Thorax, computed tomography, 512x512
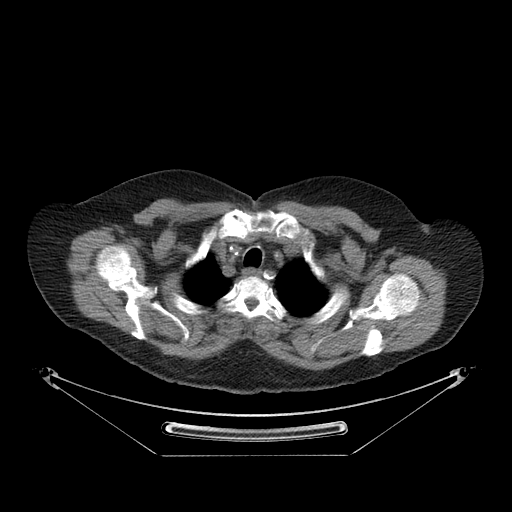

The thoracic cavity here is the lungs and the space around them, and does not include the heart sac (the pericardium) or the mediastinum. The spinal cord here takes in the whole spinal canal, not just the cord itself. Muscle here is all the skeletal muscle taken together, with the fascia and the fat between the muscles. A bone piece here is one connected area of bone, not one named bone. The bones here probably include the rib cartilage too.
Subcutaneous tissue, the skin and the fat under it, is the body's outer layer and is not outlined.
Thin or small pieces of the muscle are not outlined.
thoracic cavity 1: (295, 257) (302, 257) (303, 258) (304, 261) (307, 264) (310, 272) (313, 276) (321, 283) (327, 291) (327, 296) (328, 298) (324, 304) (310, 315) (307, 316) (296, 316) (290, 313) (278, 298) (273, 287) (270, 284) (272, 284) (274, 282) (275, 276) (280, 269) (288, 261)
thoracic cavity 2: (210, 251) (213, 253) (216, 262) (219, 266) (222, 273) (225, 276) (230, 278) (234, 281) (232, 283) (232, 285) (230, 288) (224, 294) (220, 296) (212, 304) (204, 305) (188, 298) (188, 296) (184, 289) (183, 279) (184, 278) (185, 272) (202, 261) (207, 256)
right arm: (87, 198) (90, 198) (102, 204) (116, 217) (131, 247) (132, 261) (130, 271) (128, 275) (115, 289) (99, 299) (80, 309) (55, 315) (48, 307) (37, 289) (28, 265) (26, 254) (26, 236) (28, 225) (33, 214) (42, 205) (50, 201) (60, 199) (78, 202)
bones 1: (235, 208) (250, 214) (270, 209) (294, 216) (311, 234) (313, 257) (324, 270) (323, 280) (314, 276) (305, 261) (299, 235) (278, 238) (273, 231) (250, 232) (243, 239) (217, 236) (206, 256) (186, 270) (185, 261) (196, 250) (203, 233) (214, 225) (219, 227) (219, 219)
bones 2: (116, 244) (128, 252) (137, 280) (157, 287) (157, 293) (149, 300) (157, 300) (187, 327) (189, 336) (186, 340) (173, 320) (142, 303) (140, 298) (136, 302) (146, 339) (140, 340) (130, 333) (134, 323) (125, 310) (126, 294) (110, 288) (94, 267) (98, 252) (107, 245)
bones 3: (247, 276) (258, 276) (265, 280) (272, 287) (275, 295) (289, 313) (299, 320) (302, 317) (310, 316) (321, 308) (338, 287) (345, 287) (349, 295) (332, 316) (317, 324) (286, 318) (274, 322) (263, 315) (249, 320) (238, 311) (222, 313) (215, 304) (231, 288) (235, 281); inner edge: (251, 297) (252, 297) (253, 298) (255, 298) (258, 301) (258, 302) (257, 303) (257, 304) (253, 308) (252, 308) (251, 309) (250, 309) (247, 306) (247, 305) (246, 304) (246, 303) (245, 302) (245, 300) (246, 299) (247, 299) (248, 298) (250, 298)
bones 4: (395, 273) (406, 274) (417, 283) (420, 290) (420, 299) (415, 309) (409, 315) (400, 315) (390, 320) (373, 320) (369, 318) (354, 320) (351, 327) (340, 331) (340, 329) (350, 318) (349, 310) (352, 308) (355, 309) (358, 307) (369, 306) (373, 302) (373, 299) (383, 281)
bones 5: (372, 325) (373, 325) (377, 329) (378, 329) (380, 331) (382, 335) (382, 338) (383, 339) (383, 349) (379, 353) (375, 354) (374, 355) (371, 355) (370, 356) (361, 355) (360, 354) (360, 351) (364, 346) (365, 340) (366, 339) (366, 335) (368, 332) (368, 330)
bones 6: (172, 292) (175, 292) (183, 296) (185, 298) (187, 298) (194, 302) (196, 302) (199, 304) (201, 304) (203, 305) (207, 309) (207, 311) (201, 314) (188, 314) (178, 309) (174, 305) (171, 299) (172, 298)
bones 7: (322, 338) (323, 338) (323, 340) (315, 348) (315, 350) (313, 352) (312, 352) (311, 351) (311, 348) (312, 347) (312, 346) (318, 340) (319, 340) (320, 339) (321, 339)
muscle: (164, 197) (346, 207) (381, 229) (379, 248) (395, 247) (446, 270) (443, 322) (423, 343) (384, 353) (383, 335) (372, 324) (363, 356) (322, 370) (285, 364) (248, 341) (201, 360) (165, 355) (142, 341) (147, 336) (138, 299) (173, 321) (184, 341) (190, 331) (150, 300) (158, 287) (138, 280) (123, 245) (102, 247) (93, 267) (110, 289) (125, 294) (131, 335) (75, 308) (65, 264) (75, 236) (113, 224) (135, 231) (140, 227) (132, 215); inner edges: (235, 208) (250, 214) (284, 211) (309, 230) (327, 296) (340, 286) (349, 293) (332, 316) (317, 324) (274, 322) (263, 315) (249, 320) (238, 311) (222, 313) (214, 302) (201, 314) (174, 305) (172, 292) (188, 297) (183, 285) (187, 257) (203, 233) (219, 227) (219, 219), then (395, 273) (406, 274) (417, 283) (420, 290) (420, 299) (415, 309) (409, 315) (400, 315) (390, 320) (373, 320) (369, 318) (354, 320) (351, 327) (340, 331) (340, 329) (350, 318) (349, 310) (352, 308) (355, 309) (358, 307) (369, 306) (373, 302) (373, 299) (383, 281), then (322, 338) (323, 338) (323, 340) (315, 348) (315, 350) (313, 352) (312, 352) (311, 351) (311, 348) (312, 347) (312, 346) (318, 340) (319, 340) (320, 339) (321, 339)
torso: (168, 168) (203, 172) (253, 198) (321, 174) (356, 177) (397, 195) (421, 221) (380, 262) (376, 295) (401, 340) (422, 355) (356, 384) (305, 392) (237, 394) (166, 382) (66, 326) (56, 315) (80, 310) (109, 294) (132, 267) (132, 247) (117, 217) (89, 197) (127, 179)
left arm: (435, 216) (453, 217) (465, 223) (474, 231) (479, 239) (482, 248) (484, 263) (484, 279) (481, 294) (477, 305) (455, 336) (444, 346) (425, 354) (422, 354) (408, 346) (402, 340) (400, 335) (386, 317) (377, 295) (377, 272) (383, 259) (420, 222) (422, 221) (426, 222)
mediastinum: (258, 232) (273, 232) (278, 239) (288, 238) (293, 240) (299, 236) (302, 256) (295, 256) (288, 260) (274, 276) (272, 283) (269, 283) (258, 275) (247, 275) (236, 280) (225, 275) (214, 253) (210, 250) (213, 241) (217, 237) (219, 239) (235, 237) (243, 240) (250, 233)
spinal cord: (251, 297) (252, 297) (253, 298) (255, 298) (258, 301) (258, 302) (257, 303) (257, 304) (253, 308) (252, 308) (251, 309) (250, 309) (247, 306) (247, 305) (246, 304) (246, 303) (245, 302) (245, 300) (246, 299) (247, 299) (248, 298) (250, 298)